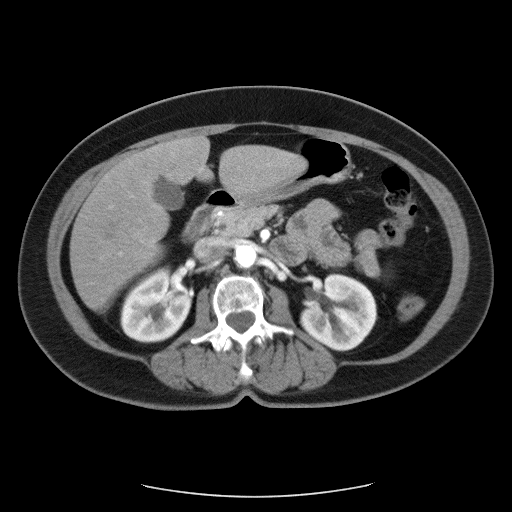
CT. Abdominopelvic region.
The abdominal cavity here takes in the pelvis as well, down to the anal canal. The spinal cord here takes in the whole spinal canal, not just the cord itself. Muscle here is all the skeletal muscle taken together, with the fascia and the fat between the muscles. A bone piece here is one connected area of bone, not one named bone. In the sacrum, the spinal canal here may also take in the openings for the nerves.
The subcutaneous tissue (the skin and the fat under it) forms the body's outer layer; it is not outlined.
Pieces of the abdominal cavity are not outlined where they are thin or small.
Outlined structures:
spinal cord: [[244,311],[249,311],[251,312],[254,316],[254,320],[252,324],[250,325],[244,331],[242,332],[239,332],[237,331],[234,328],[230,326],[227,323],[226,321],[226,318],[227,316],[231,313],[240,313]]
torso: [[248,85],[311,88],[357,100],[409,125],[451,160],[478,204],[491,244],[493,293],[480,328],[431,375],[399,391],[346,405],[270,408],[245,396],[227,408],[163,411],[88,391],[40,349],[19,306],[19,248],[40,189],[68,151],[107,122],[179,94]]
abdominal cavity: [[252,125],[365,148],[405,169],[427,194],[448,239],[450,275],[435,309],[400,348],[337,357],[296,325],[283,289],[268,283],[265,293],[252,275],[231,273],[203,286],[193,323],[150,353],[108,339],[75,299],[62,269],[64,241],[104,172],[157,142]]
bones: [[231,274],[256,279],[264,291],[265,319],[293,330],[292,335],[276,332],[262,345],[252,340],[248,343],[245,361],[252,375],[247,380],[238,374],[242,355],[237,343],[226,351],[217,352],[208,341],[190,342],[190,338],[216,326],[212,294],[218,281]] with a hole at [[244,311],[249,311],[251,312],[254,316],[254,320],[252,324],[250,325],[244,331],[242,332],[239,332],[237,331],[234,328],[230,326],[227,323],[226,321],[226,318],[227,316],[231,313],[240,313]]
muscle: [[263,120],[264,121],[271,121],[272,122],[286,123],[287,124],[300,124],[301,125],[330,128],[335,130],[351,133],[369,139],[379,143],[403,156],[416,166],[437,178],[445,185],[456,201],[464,219],[467,230],[467,236],[469,243],[469,254],[470,255],[469,270],[465,287],[459,300],[458,306],[451,315],[450,319],[445,323],[438,332],[426,344],[414,353],[403,359],[391,363],[383,363],[382,364],[344,365],[339,367],[332,378],[327,383],[320,387],[308,391],[301,391],[294,394],[281,394],[280,395],[266,393],[255,387],[252,384],[238,385],[235,389],[222,395],[200,396],[195,394],[186,393],[165,385],[143,363],[136,360],[118,356],[97,349],[84,341],[73,330],[72,327],[64,317],[58,305],[58,303],[54,296],[52,286],[48,276],[47,262],[46,261],[46,248],[47,247],[47,238],[48,237],[49,227],[54,213],[61,201],[63,195],[72,183],[82,173],[90,167],[111,157],[114,154],[133,143],[157,134],[181,128],[187,128],[188,127],[201,126],[209,124],[241,123],[249,121],[262,121]]; inner edge: [[252,125],[365,148],[427,194],[450,275],[400,348],[337,357],[268,283],[264,317],[293,334],[251,340],[245,380],[237,343],[217,352],[190,342],[217,324],[213,287],[197,292],[193,323],[150,353],[108,339],[75,299],[64,241],[104,172],[157,142]]